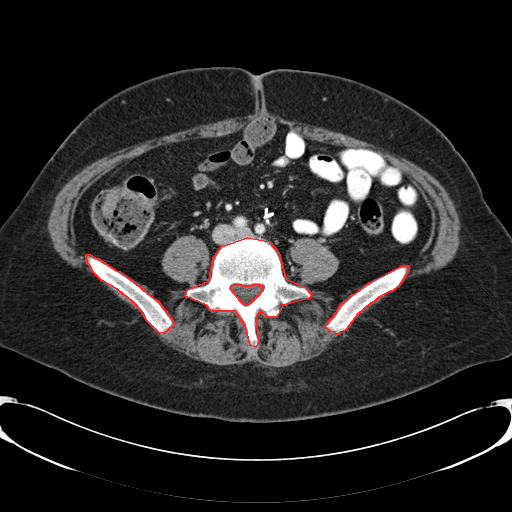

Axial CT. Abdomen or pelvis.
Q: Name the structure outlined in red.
A: red: bones.
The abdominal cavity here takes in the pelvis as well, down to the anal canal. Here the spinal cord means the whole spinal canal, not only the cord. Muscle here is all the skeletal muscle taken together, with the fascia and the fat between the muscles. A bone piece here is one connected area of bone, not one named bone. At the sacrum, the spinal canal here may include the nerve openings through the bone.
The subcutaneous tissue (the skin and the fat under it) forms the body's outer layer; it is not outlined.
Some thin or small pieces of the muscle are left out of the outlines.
{"bones":[{"outer":[[247,237],[269,241],[278,252],[285,278],[305,287],[311,294],[309,298],[282,305],[276,317],[268,317],[260,310],[255,318],[258,341],[255,347],[250,345],[245,325],[235,311],[211,311],[206,305],[185,296],[187,289],[209,280],[213,258],[221,246]],"hole":[[234,284],[240,284],[241,285],[252,285],[253,284],[259,284],[260,285],[262,285],[262,290],[259,293],[259,294],[250,303],[249,303],[247,305],[245,305],[244,304],[243,304],[239,300],[239,299],[232,291],[232,290],[231,289],[231,286]]},[[87,254],[89,254],[94,257],[98,258],[114,269],[119,271],[133,281],[148,294],[157,300],[171,318],[173,323],[172,326],[163,333],[158,332],[146,320],[143,313],[132,301],[117,289],[101,280],[92,271],[91,268],[86,261],[86,255]],[[402,265],[407,265],[408,266],[408,271],[399,285],[392,291],[390,291],[378,297],[374,301],[370,303],[357,314],[345,330],[340,332],[338,334],[336,334],[334,332],[330,331],[325,327],[325,325],[337,311],[339,306],[352,294],[359,290],[369,282]]],"abdominal_cavity":[{"outer":[[258,118],[277,120],[319,142],[374,150],[400,169],[420,190],[432,217],[429,237],[413,260],[363,285],[331,293],[289,281],[279,252],[269,240],[238,237],[215,251],[206,282],[157,291],[79,245],[74,231],[78,202],[114,167],[159,146],[234,133]],"hole":[[187,235],[192,235],[197,238],[201,239],[205,243],[209,251],[209,261],[201,272],[201,274],[198,278],[193,282],[188,284],[186,283],[181,283],[172,279],[165,273],[162,268],[162,265],[161,264],[162,257],[167,248],[177,238],[182,236],[186,236]]}],"torso":[[[209,66],[235,66],[253,74],[288,68],[347,77],[394,96],[435,124],[465,158],[486,202],[511,234],[511,355],[473,365],[413,393],[353,411],[292,421],[236,422],[183,415],[130,401],[1,347],[0,225],[44,164],[86,114],[116,92],[164,73]]],"muscle":[[[262,110],[288,120],[320,126],[378,145],[427,171],[445,188],[455,205],[460,221],[459,246],[453,259],[445,266],[412,277],[397,288],[409,271],[406,264],[417,257],[431,233],[432,212],[421,190],[400,168],[374,149],[341,146],[312,139],[270,117],[250,119],[236,131],[225,135],[192,137],[159,145],[119,163],[82,193],[73,215],[73,231],[78,245],[87,253],[85,261],[91,271],[132,302],[145,320],[160,334],[173,326],[172,318],[157,299],[132,280],[145,284],[157,292],[185,289],[186,298],[206,306],[211,312],[235,312],[244,325],[249,345],[255,348],[259,343],[256,333],[256,318],[259,312],[263,312],[268,318],[276,318],[282,306],[292,301],[309,299],[312,294],[307,288],[339,294],[363,286],[344,300],[324,325],[336,335],[345,331],[358,314],[370,304],[392,292],[365,312],[347,336],[315,357],[284,367],[263,367],[252,361],[217,365],[193,359],[168,346],[123,303],[90,276],[67,263],[53,247],[47,222],[55,196],[63,185],[78,171],[97,159],[148,139],[228,117],[247,116]],[[187,235],[192,235],[197,238],[201,239],[205,243],[209,251],[209,261],[201,272],[201,274],[198,278],[193,282],[188,284],[186,283],[181,283],[172,279],[165,273],[162,268],[162,265],[161,264],[162,257],[167,248],[177,238],[182,236],[186,236]],[[300,238],[311,238],[316,240],[321,244],[326,246],[337,258],[339,262],[338,263],[338,267],[336,271],[331,276],[323,281],[315,282],[314,283],[307,283],[301,280],[300,278],[300,268],[290,259],[288,254],[288,249],[292,245],[294,241]]],"spinal_cord":[[[234,284],[240,284],[241,285],[252,285],[253,284],[259,284],[260,285],[262,285],[262,290],[259,293],[259,294],[250,303],[249,303],[247,305],[245,305],[244,304],[243,304],[239,300],[239,299],[232,291],[232,290],[231,289],[231,286]]]}